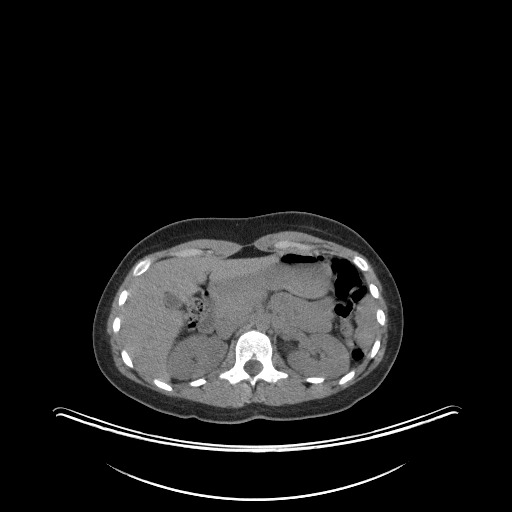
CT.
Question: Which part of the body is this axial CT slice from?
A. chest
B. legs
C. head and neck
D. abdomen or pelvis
Answer: D. abdomen or pelvis
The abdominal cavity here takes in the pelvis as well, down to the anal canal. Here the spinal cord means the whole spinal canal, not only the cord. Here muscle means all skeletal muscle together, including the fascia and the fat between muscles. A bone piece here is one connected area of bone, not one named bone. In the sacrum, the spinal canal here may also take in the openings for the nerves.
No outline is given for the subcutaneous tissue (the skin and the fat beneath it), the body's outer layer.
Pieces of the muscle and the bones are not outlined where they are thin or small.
{"abdominal_cavity":[[[247,247],[261,251],[333,252],[350,258],[363,272],[375,304],[377,331],[367,356],[339,378],[304,377],[287,366],[266,333],[252,328],[238,336],[219,367],[204,377],[168,383],[140,371],[124,348],[120,335],[122,308],[138,276],[162,258],[226,257]]],"spinal_cord":[[[250,360],[256,360],[257,361],[258,361],[261,364],[261,365],[262,366],[261,369],[257,373],[256,373],[253,375],[252,375],[251,374],[248,373],[245,370],[245,369],[244,368],[244,366],[245,365],[245,364],[248,361],[249,361]]],"torso":[[[278,211],[311,212],[347,225],[370,244],[388,267],[401,297],[403,335],[396,359],[379,386],[337,413],[289,421],[257,418],[235,424],[166,414],[113,386],[97,365],[92,346],[92,324],[100,296],[125,254],[142,238],[174,221],[194,217],[248,217]]],"bones":[{"outer":[[252,329],[268,336],[272,345],[272,364],[276,369],[287,373],[288,376],[286,378],[281,378],[274,383],[260,379],[254,386],[251,386],[246,380],[241,380],[235,384],[231,384],[226,379],[219,377],[221,372],[229,369],[234,364],[234,348],[239,336]],"hole":[[250,360],[256,360],[257,361],[258,361],[261,364],[261,365],[262,366],[261,369],[257,373],[256,373],[253,375],[252,375],[251,374],[248,373],[245,370],[245,369],[244,368],[244,366],[245,365],[245,364],[248,361],[249,361]]},[[185,249],[198,249],[199,250],[200,249],[202,249],[204,251],[207,249],[210,249],[212,251],[212,253],[210,255],[207,255],[204,253],[202,255],[200,255],[199,254],[198,255],[189,255],[188,256],[177,257],[174,254],[174,253],[177,251],[184,250]],[[146,258],[151,258],[152,259],[153,259],[153,261],[151,263],[151,264],[149,266],[149,267],[143,273],[142,273],[140,275],[138,275],[137,276],[134,276],[132,274],[132,269],[133,268],[133,267],[139,261],[140,261],[141,260],[143,260]],[[281,240],[284,240],[285,241],[296,241],[297,242],[305,242],[306,243],[307,243],[310,246],[310,248],[308,250],[305,250],[302,248],[294,248],[293,247],[281,247],[280,246],[278,246],[277,245],[276,245],[276,243],[278,241],[280,241]],[[355,255],[357,255],[358,256],[359,256],[360,257],[362,257],[364,259],[365,259],[366,260],[366,261],[368,263],[368,264],[369,265],[369,267],[370,268],[369,269],[369,270],[367,270],[366,271],[363,271],[361,269],[360,269],[352,261],[352,258]],[[154,378],[157,378],[158,379],[159,379],[160,380],[161,380],[164,382],[166,382],[168,384],[169,384],[172,387],[172,390],[171,391],[168,391],[167,390],[165,390],[164,389],[162,389],[161,388],[158,387],[155,384],[154,384],[152,381]],[[123,349],[125,349],[127,351],[127,352],[128,353],[129,356],[131,358],[131,360],[132,361],[132,363],[134,366],[134,367],[133,368],[131,368],[130,367],[127,366],[124,363],[124,362],[122,359],[122,357],[121,356],[121,351]],[[353,369],[355,372],[354,373],[354,375],[353,376],[353,377],[351,379],[350,379],[348,381],[347,381],[345,383],[344,383],[343,384],[339,384],[338,383],[338,381],[339,380],[339,379],[342,376],[343,376],[345,374],[346,374],[349,371],[350,371]],[[377,338],[379,340],[379,342],[380,343],[379,344],[379,348],[378,349],[378,350],[377,351],[376,354],[372,358],[370,358],[368,356],[368,355],[369,354],[369,353],[370,352],[370,350],[371,349],[371,348],[372,347],[372,346],[374,343],[374,341]],[[124,289],[126,289],[127,290],[128,290],[129,293],[128,294],[128,295],[127,296],[127,298],[126,299],[125,302],[123,304],[123,305],[122,306],[120,306],[118,304],[118,299],[119,298],[119,295],[120,294],[120,293]],[[370,283],[372,283],[373,284],[374,284],[377,287],[377,289],[378,290],[378,291],[379,292],[379,297],[378,298],[375,298],[374,297],[373,297],[372,296],[372,295],[370,293],[370,291],[369,290],[369,288],[368,287],[368,285]]],"muscle":[{"outer":[[288,230],[304,232],[319,237],[322,239],[333,241],[336,243],[353,249],[366,257],[373,266],[375,273],[383,288],[383,296],[386,301],[387,307],[388,308],[389,326],[388,327],[388,336],[387,337],[386,349],[384,355],[378,365],[365,377],[359,380],[354,384],[334,394],[332,394],[323,398],[318,398],[317,399],[303,401],[294,404],[284,404],[278,406],[266,405],[263,403],[250,403],[249,404],[246,404],[244,406],[241,407],[234,408],[233,407],[219,407],[218,406],[213,406],[212,405],[209,405],[200,402],[196,402],[187,399],[180,399],[179,398],[167,396],[136,383],[123,375],[117,369],[115,366],[112,357],[111,347],[109,342],[109,337],[106,331],[106,324],[110,312],[111,304],[113,298],[119,286],[123,281],[128,271],[139,259],[150,253],[159,250],[166,249],[180,243],[190,240],[193,240],[194,239],[201,239],[202,238],[207,238],[208,239],[222,239],[223,240],[228,240],[229,241],[233,241],[237,243],[244,244],[245,243],[250,243],[257,238],[269,233],[274,233],[280,231],[287,231]],"hole":[[281,240],[305,242],[310,246],[311,251],[333,252],[351,259],[357,255],[368,263],[370,268],[364,271],[363,275],[368,284],[372,283],[377,287],[379,297],[374,297],[373,301],[375,309],[379,308],[383,311],[385,323],[377,324],[375,338],[380,343],[376,354],[372,358],[367,356],[354,367],[355,372],[351,379],[343,384],[338,383],[338,378],[326,378],[320,383],[307,382],[303,376],[287,366],[273,345],[272,364],[288,376],[274,383],[260,379],[254,386],[246,380],[231,384],[219,377],[221,372],[234,364],[235,352],[232,345],[219,367],[204,377],[206,380],[204,384],[192,386],[188,381],[170,382],[171,391],[158,387],[153,383],[153,377],[143,373],[135,365],[131,368],[124,363],[121,356],[124,345],[120,332],[113,331],[112,323],[114,318],[120,317],[122,313],[123,307],[118,304],[120,293],[124,289],[129,292],[138,277],[132,274],[132,269],[139,261],[151,258],[154,262],[185,249],[204,251],[210,249],[212,255],[224,257],[247,247],[254,247],[261,251],[293,249],[293,247],[276,245]]}]}